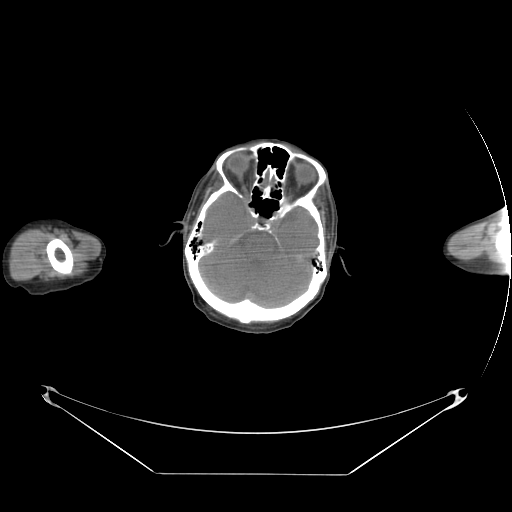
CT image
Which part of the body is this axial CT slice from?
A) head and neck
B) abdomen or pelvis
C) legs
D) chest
A) head and neck
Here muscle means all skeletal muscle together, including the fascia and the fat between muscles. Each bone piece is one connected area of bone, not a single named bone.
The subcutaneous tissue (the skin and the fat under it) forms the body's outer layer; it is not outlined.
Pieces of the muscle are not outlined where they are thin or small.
{"head":[{"outer":[[256,137],[293,142],[325,166],[337,209],[337,242],[344,247],[340,253],[350,273],[334,256],[321,300],[292,326],[259,334],[210,321],[194,306],[185,281],[182,237],[174,234],[166,245],[159,245],[180,226],[174,221],[183,217],[196,183],[217,154]],"holes":[[[267,148],[268,151],[270,153],[273,153],[274,152],[274,148],[279,148],[283,150],[288,156],[280,176],[278,174],[278,167],[275,165],[273,165],[273,164],[270,162],[268,162],[264,166],[261,171],[259,172],[258,169],[258,166],[259,165],[259,151]],[[255,189],[257,190],[259,194],[258,196],[261,200],[269,200],[270,201],[275,201],[276,202],[277,204],[277,206],[275,208],[274,208],[268,215],[265,215],[261,213],[259,211],[258,208],[254,206],[252,204],[253,202],[253,196],[254,195],[254,190]]]}],"left_arm":[[[505,203],[506,203],[507,206],[508,218],[509,219],[509,229],[511,232],[511,271],[510,272],[510,275],[506,273],[504,275],[478,275],[477,274],[467,272],[451,264],[446,260],[442,254],[441,248],[443,241],[449,233],[472,220],[474,220],[493,212]]],"brain":[[[228,192],[243,202],[251,218],[251,230],[271,234],[273,223],[297,207],[303,208],[313,219],[317,244],[310,256],[310,278],[306,288],[290,301],[268,307],[247,297],[228,301],[207,285],[199,262],[215,250],[218,240],[206,239],[205,219],[210,206]]],"right_arm":[[[38,218],[59,218],[76,226],[89,230],[99,236],[106,247],[106,256],[103,262],[101,272],[92,281],[72,287],[67,290],[51,292],[44,295],[31,295],[21,287],[14,288],[9,286],[6,283],[2,273],[3,248],[8,239],[20,226],[30,220]]],"bones":[{"outer":[[258,142],[274,142],[287,145],[294,150],[304,153],[313,158],[324,169],[327,178],[317,190],[313,201],[319,211],[321,223],[324,229],[325,264],[327,268],[327,274],[314,298],[294,314],[278,320],[251,321],[249,323],[242,323],[234,318],[228,317],[215,310],[199,295],[188,273],[187,261],[184,254],[184,247],[201,206],[207,200],[210,194],[218,189],[223,183],[220,175],[216,170],[216,160],[223,153],[229,150]],"holes":[[[228,192],[243,202],[251,218],[251,230],[271,234],[273,223],[297,207],[303,208],[313,219],[317,244],[310,256],[310,278],[306,288],[290,301],[268,307],[247,297],[228,301],[207,285],[199,262],[215,250],[218,240],[206,239],[205,219],[210,206]],[[241,151],[248,151],[250,152],[251,153],[251,156],[253,158],[254,162],[256,165],[255,168],[253,170],[253,177],[252,178],[251,183],[249,186],[249,188],[245,193],[240,191],[228,179],[223,169],[223,165],[226,159],[233,153],[240,152]],[[296,159],[303,160],[311,164],[313,166],[315,170],[315,172],[316,173],[316,181],[315,183],[305,193],[296,197],[294,199],[290,199],[290,198],[286,193],[286,185],[287,184],[288,171],[289,170],[290,165],[292,163],[292,162],[293,162],[294,160]],[[267,148],[268,151],[270,153],[273,153],[274,152],[274,148],[279,148],[283,150],[288,156],[280,176],[278,174],[278,167],[275,165],[273,165],[273,164],[270,162],[268,162],[264,166],[261,171],[259,172],[258,169],[258,166],[259,165],[259,151]],[[255,189],[257,190],[259,194],[258,196],[261,200],[269,200],[270,201],[275,201],[276,202],[277,204],[277,206],[275,208],[274,208],[268,215],[265,215],[261,213],[259,211],[258,208],[254,206],[252,204],[253,202],[253,196],[254,195],[254,190]]]},[[55,237],[57,237],[61,239],[68,246],[68,247],[70,249],[73,255],[73,259],[74,260],[74,262],[73,263],[72,272],[70,274],[62,274],[56,271],[52,267],[48,259],[48,257],[47,256],[47,253],[46,252],[46,245],[47,243],[51,239]],[[509,224],[509,229],[511,232],[511,255],[503,255],[502,254],[499,253],[498,252],[498,251],[496,249],[496,247],[495,246],[495,238],[496,237],[496,235],[497,234],[497,233],[501,229],[502,229],[504,227],[507,226]]],"muscle":[{"outer":[[40,225],[51,225],[58,228],[79,231],[88,234],[96,238],[99,241],[101,245],[100,254],[93,262],[89,270],[83,276],[52,282],[40,282],[33,280],[16,281],[10,276],[8,259],[10,253],[10,248],[13,242],[25,230],[29,228],[38,227]],"hole":[[55,237],[57,237],[61,239],[68,246],[68,247],[70,249],[73,255],[73,259],[74,260],[74,262],[73,263],[72,272],[70,274],[62,274],[56,271],[52,267],[48,259],[48,257],[47,256],[47,253],[46,252],[46,245],[47,243],[51,239]]},[[505,212],[508,212],[509,223],[501,228],[496,233],[494,238],[494,246],[499,254],[503,256],[511,256],[511,266],[487,264],[473,261],[464,261],[456,258],[448,253],[447,244],[450,238],[458,231],[464,229],[468,226],[481,222],[497,214]],[[325,182],[326,183],[326,186],[327,187],[327,190],[331,203],[331,211],[332,212],[332,220],[333,221],[331,245],[330,246],[329,260],[328,261],[327,267],[326,264],[325,229],[322,223],[320,211],[314,201],[314,198],[316,196],[318,190]],[[214,167],[215,167],[215,170],[219,175],[222,181],[222,183],[218,188],[215,189],[209,194],[206,200],[200,206],[198,213],[188,233],[186,241],[186,237],[187,236],[186,220],[187,219],[191,205],[198,190],[206,181],[211,172],[213,170]],[[199,296],[204,302],[215,311],[228,318],[234,319],[242,324],[249,324],[251,322],[268,322],[269,321],[282,320],[294,315],[305,307],[299,313],[282,322],[266,327],[250,327],[240,325],[237,323],[228,322],[221,318],[216,317],[207,311],[201,303]]]}